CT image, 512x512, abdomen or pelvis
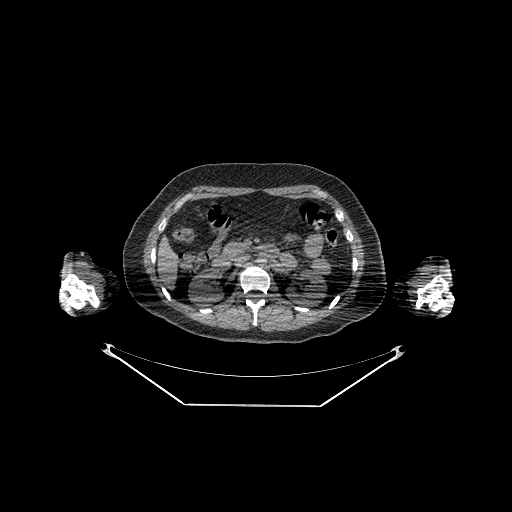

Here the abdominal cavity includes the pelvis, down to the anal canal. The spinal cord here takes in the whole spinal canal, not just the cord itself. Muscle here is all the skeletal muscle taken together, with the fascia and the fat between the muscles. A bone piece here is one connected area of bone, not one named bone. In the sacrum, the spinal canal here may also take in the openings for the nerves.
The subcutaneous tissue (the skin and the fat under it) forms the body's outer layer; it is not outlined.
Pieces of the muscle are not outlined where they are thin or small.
The abdominal cavity is outlined by (259, 191) (290, 198) (317, 198) (333, 209) (351, 248) (351, 277) (347, 285) (327, 304) (310, 308) (284, 298) (269, 273) (249, 261) (238, 272) (238, 283) (231, 293) (211, 307) (188, 306) (172, 296) (158, 280) (154, 267) (156, 246) (170, 217) (191, 200) (237, 196). The muscle appears in 3 outlined pieces: piece 1: (297, 184) (314, 184) (315, 185) (317, 185) (323, 190) (325, 190) (331, 194) (341, 204) (347, 212) (354, 226) (356, 228) (356, 230) (359, 236) (361, 238) (361, 242) (363, 244) (364, 260) (365, 261) (364, 267) (363, 268) (363, 273) (360, 278) (359, 285) (355, 293) (355, 296) (345, 307) (341, 307) (329, 315) (321, 317) (318, 319) (315, 323) (313, 323) (305, 327) (302, 327) (295, 330) (272, 331) (271, 332) (267, 332) (266, 331) (263, 331) (258, 328) (251, 328) (248, 330) (236, 330) (235, 329) (225, 329) (224, 328) (213, 327) (209, 325) (205, 325) (195, 320) (190, 319) (184, 316) (181, 313) (175, 311) (172, 308) (168, 307) (163, 302) (163, 301) (159, 297) (158, 297) (156, 294) (156, 291) (154, 288) (154, 286) (151, 283) (149, 275) (145, 271) (145, 268) (142, 263) (142, 259) (143, 258) (142, 256) (143, 255) (143, 249) (144, 248) (145, 241) (151, 227) (159, 216) (160, 213) (163, 210) (164, 207) (170, 201) (178, 195) (183, 193) (185, 191) (189, 190) (192, 187) (197, 185) (211, 185) (212, 186) (224, 186) (225, 187) (278, 187) (279, 186) (296, 185) with holes at (259, 191) (290, 198) (317, 198) (333, 209) (337, 207) (342, 210) (343, 221) (340, 223) (344, 229) (349, 229) (353, 236) (350, 244) (351, 254) (357, 258) (358, 267) (351, 274) (347, 285) (339, 292) (337, 303) (330, 309) (327, 304) (311, 308) (314, 311) (312, 314) (297, 311) (293, 307) (298, 305) (281, 295) (272, 277) (266, 302) (257, 311) (256, 326) (252, 324) (252, 310) (245, 304) (245, 296) (238, 283) (231, 293) (212, 306) (212, 312) (207, 314) (196, 314) (199, 309) (197, 307) (188, 306) (173, 296) (171, 301) (168, 300) (156, 275) (156, 265) (150, 258) (151, 249) (157, 245) (161, 234) (158, 225) (162, 218) (166, 217) (168, 220) (174, 213) (176, 202) (189, 192) (194, 194) (190, 199) (197, 200) and at (313, 189) (318, 189) (319, 190) (321, 190) (322, 191) (324, 191) (327, 194) (327, 196) (326, 197) (326, 198) (321, 198) (320, 197) (318, 197) (313, 192) (312, 192) (312, 190); piece 2: (428, 264) (429, 265) (438, 265) (439, 266) (448, 267) (451, 271) (451, 282) (447, 277) (440, 272) (436, 273) (428, 281) (428, 282) (418, 287) (415, 290) (416, 298) (414, 300) (414, 307) (409, 301) (408, 291) (406, 287) (406, 282) (408, 278) (417, 269) (422, 266); piece 3: (75, 261) (85, 261) (89, 265) (91, 270) (98, 272) (103, 276) (104, 279) (103, 282) (103, 299) (101, 304) (101, 301) (96, 292) (95, 286) (92, 283) (87, 283) (75, 273) (71, 271) (67, 272) (60, 280) (61, 278) (60, 274) (63, 266) (66, 264). The bones appear in 14 outlined pieces: piece 1: (249, 262) (263, 268) (270, 277) (270, 286) (268, 289) (268, 296) (265, 298) (266, 299) (265, 304) (261, 306) (257, 311) (257, 325) (256, 326) (254, 326) (252, 324) (253, 313) (251, 308) (245, 304) (245, 296) (243, 293) (243, 290) (239, 285) (238, 278) (239, 272), around a hole outlined by (250, 291) (258, 291) (259, 292) (262, 292) (265, 295) (265, 296) (264, 297) (263, 297) (262, 298) (260, 298) (257, 301) (253, 301) (250, 298) (248, 298) (247, 297) (247, 293) (248, 293); piece 2: (70, 272) (75, 274) (80, 279) (83, 280) (87, 284) (92, 284) (94, 286) (95, 292) (100, 301) (100, 304) (97, 308) (94, 308) (89, 303) (87, 303) (81, 309) (74, 309) (72, 307) (64, 303) (60, 299) (60, 297) (59, 296) (60, 281) (67, 273) (69, 273); piece 3: (439, 273) (447, 278) (451, 283) (451, 286) (450, 287) (451, 295) (450, 296) (449, 301) (438, 311) (432, 311) (426, 303) (424, 303) (422, 305) (421, 309) (416, 309) (415, 308) (415, 300) (417, 298) (416, 290) (418, 288) (428, 283) (436, 274) (438, 274); piece 4: (189, 192) (191, 192) (193, 193) (194, 194) (194, 196) (192, 198) (186, 201) (181, 206) (181, 207) (180, 207) (179, 209) (176, 212) (174, 213) (173, 212) (173, 207) (175, 205) (176, 202) (178, 201) (184, 195) (185, 195); piece 5: (294, 306) (303, 306) (304, 307) (308, 307) (311, 310) (312, 310) (313, 311) (314, 311) (314, 312) (312, 314) (309, 314) (308, 313) (307, 313) (306, 312) (301, 312) (300, 311) (297, 311) (296, 310) (295, 310) (293, 308) (293, 307); piece 6: (337, 207) (338, 208) (340, 208) (342, 210) (342, 211) (343, 212) (343, 221) (342, 222) (340, 222) (337, 219) (337, 218) (336, 217) (336, 216) (335, 215) (335, 213) (334, 212) (334, 209) (335, 208) (336, 208); piece 7: (353, 254) (354, 254) (355, 255) (355, 256) (357, 258) (357, 259) (358, 260) (358, 267) (357, 268) (357, 270) (353, 274) (352, 273) (352, 255); piece 8: (163, 217) (166, 217) (167, 218) (167, 223) (166, 224) (166, 225) (165, 226) (165, 227) (164, 228) (164, 229) (163, 230) (163, 231) (161, 233) (160, 233) (158, 231) (158, 225) (160, 223) (160, 222) (161, 221) (161, 220) (162, 219) (162, 218); piece 9: (338, 293) (339, 293) (339, 294) (340, 295) (340, 298) (338, 300) (338, 301) (337, 302) (337, 303) (332, 308) (331, 308) (330, 309) (329, 309) (328, 308) (328, 305) (329, 304) (329, 303) (332, 300) (332, 299) (335, 296) (335, 295) (336, 294) (337, 294); piece 10: (313, 189) (318, 189) (319, 190) (321, 190) (322, 191) (324, 191) (327, 194) (327, 196) (326, 197) (326, 198) (321, 198) (320, 197) (318, 197) (313, 192) (312, 192) (312, 190); piece 11: (344, 229) (349, 229) (350, 230) (350, 231) (351, 232) (351, 233) (352, 234) (352, 235) (353, 236) (353, 240) (352, 241) (352, 242) (351, 243) (350, 243) (347, 240) (347, 239) (346, 238) (346, 237) (345, 236) (345, 235) (344, 234); piece 12: (207, 307) (208, 307) (209, 308) (211, 308) (212, 309) (212, 312) (211, 312) (210, 313) (208, 313) (207, 314) (196, 314) (196, 313) (198, 311) (198, 310) (200, 308) (206, 308); piece 13: (153, 246) (155, 246) (156, 247) (156, 250) (155, 251) (155, 264) (153, 264) (151, 262) (151, 259) (150, 258) (150, 252) (151, 251) (151, 249) (152, 248) (152, 247); piece 14: (162, 285) (165, 287) (165, 288) (167, 290) (167, 291) (170, 294) (170, 295) (171, 296) (171, 298) (172, 299) (171, 300) (171, 301) (170, 301) (169, 300) (168, 300) (167, 299) (167, 298) (164, 295) (164, 294) (163, 293) (163, 292) (161, 289) (161, 286). The spinal cord is outlined by (250, 291) (258, 291) (259, 292) (262, 292) (265, 295) (265, 296) (264, 297) (263, 297) (262, 298) (260, 298) (257, 301) (253, 301) (250, 298) (248, 298) (247, 297) (247, 293) (248, 293). The torso is outlined by (218, 162) (300, 163) (321, 169) (344, 181) (365, 209) (380, 239) (387, 284) (385, 295) (375, 311) (331, 335) (298, 343) (251, 343) (220, 341) (199, 336) (185, 331) (144, 309) (131, 295) (125, 283) (122, 267) (122, 249) (133, 222) (160, 189) (175, 175) (194, 166). The right arm is outlined by (72, 250) (83, 250) (85, 251) (90, 255) (92, 260) (96, 264) (111, 270) (117, 276) (119, 281) (119, 291) (112, 303) (106, 309) (93, 315) (85, 317) (77, 317) (68, 313) (64, 310) (60, 304) (60, 297) (59, 296) (60, 271) (62, 268) (60, 264) (65, 254). The left arm is outlined by (430, 255) (439, 255) (445, 257) (455, 270) (456, 274) (455, 281) (450, 287) (450, 291) (453, 296) (453, 303) (451, 309) (449, 313) (439, 318) (417, 316) (405, 310) (397, 304) (393, 298) (393, 294) (392, 293) (395, 281) (406, 272) (414, 269) (425, 257).